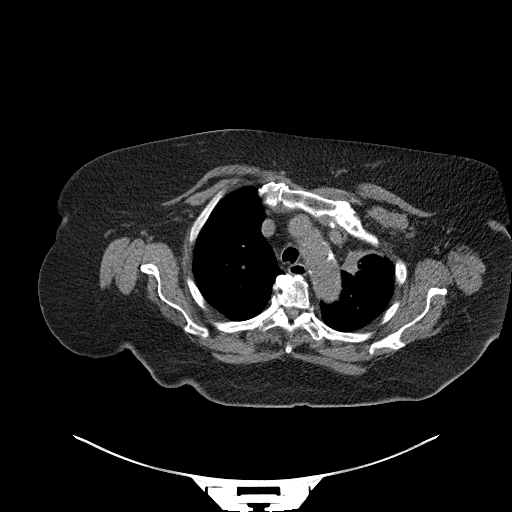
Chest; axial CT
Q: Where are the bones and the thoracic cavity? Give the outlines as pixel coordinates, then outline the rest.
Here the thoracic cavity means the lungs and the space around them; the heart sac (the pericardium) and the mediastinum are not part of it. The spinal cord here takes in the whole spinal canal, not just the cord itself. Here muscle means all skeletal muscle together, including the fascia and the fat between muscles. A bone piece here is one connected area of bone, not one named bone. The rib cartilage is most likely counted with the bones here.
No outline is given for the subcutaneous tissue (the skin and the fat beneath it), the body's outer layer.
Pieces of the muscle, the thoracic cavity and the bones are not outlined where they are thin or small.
A: Outlined structures:
bones 1: (284, 273) (299, 275) (307, 282) (317, 320) (338, 331) (373, 331) (373, 336) (360, 342) (346, 342) (324, 337) (315, 340) (302, 327) (298, 327) (290, 338) (279, 326) (265, 331) (255, 328) (230, 333) (216, 329) (211, 320) (242, 321) (264, 310) (270, 303) (276, 277); inner edge: (291, 307) (295, 307) (296, 308) (297, 308) (298, 309) (299, 309) (299, 313) (298, 314) (298, 315) (296, 317) (295, 317) (292, 320) (290, 320) (289, 319) (289, 318) (287, 316) (287, 315) (286, 314) (286, 312) (285, 311) (285, 310) (287, 308) (290, 308)
bones 2: (270, 181) (281, 181) (292, 189) (302, 189) (326, 198) (345, 200) (349, 202) (359, 216) (364, 228) (377, 237) (378, 247) (376, 248) (353, 237) (327, 214) (322, 214) (317, 218) (299, 208) (289, 209) (280, 202) (273, 206) (264, 205) (258, 195) (257, 189) (258, 187)
bones 3: (431, 287) (446, 288) (447, 292) (445, 295) (435, 294) (432, 296) (426, 313) (418, 321) (402, 331) (400, 339) (405, 342) (405, 346) (397, 350) (388, 347) (376, 348) (373, 354) (370, 354) (369, 347) (373, 341) (379, 340) (396, 331) (415, 318) (424, 309) (427, 292)
bones 4: (144, 263) (152, 263) (157, 267) (163, 295) (170, 301) (180, 306) (194, 322) (207, 327) (209, 332) (208, 336) (204, 338) (184, 331) (183, 327) (186, 324) (185, 317) (179, 310) (167, 304) (159, 297) (157, 292) (156, 278) (152, 274) (147, 274) (140, 269) (140, 266)
bones 5: (224, 188) (226, 189) (226, 193) (223, 197) (219, 200) (213, 208) (208, 218) (201, 228) (195, 240) (194, 244) (192, 246) (190, 245) (190, 243) (189, 242) (189, 234) (190, 233) (190, 229) (192, 226) (192, 224) (194, 220) (197, 217) (199, 213) (208, 201) (219, 190)
bones 6: (187, 276) (189, 276) (194, 281) (199, 291) (201, 293) (201, 294) (205, 299) (206, 302) (208, 304) (207, 305) (207, 308) (206, 309) (203, 309) (201, 308) (197, 304) (197, 303) (192, 297) (190, 293) (189, 288) (186, 283) (186, 277)
bones 7: (397, 258) (401, 258) (405, 262) (405, 264) (406, 265) (406, 268) (407, 269) (407, 273) (406, 274) (406, 278) (405, 279) (404, 282) (400, 286) (399, 285) (397, 285) (395, 283) (395, 266) (394, 265) (394, 264) (395, 263) (395, 262) (396, 261)
bones 8: (396, 300) (398, 300) (400, 302) (400, 304) (399, 305) (397, 310) (395, 312) (395, 313) (385, 323) (384, 323) (383, 324) (380, 324) (379, 323) (379, 322) (380, 321) (380, 319) (381, 318) (381, 316) (383, 314) (383, 313) (387, 309) (387, 308) (390, 305) (391, 305)
thoracic cavity 1: (246, 186) (257, 187) (257, 195) (265, 206) (265, 216) (261, 222) (260, 230) (273, 252) (277, 266) (283, 273) (275, 277) (271, 287) (272, 293) (269, 303) (264, 309) (249, 318) (232, 320) (227, 319) (212, 307) (196, 284) (192, 270) (193, 246) (220, 200) (229, 192)
thoracic cavity 2: (366, 248) (376, 249) (393, 263) (395, 285) (389, 305) (380, 316) (359, 329) (358, 331) (342, 331) (335, 329) (326, 324) (320, 318) (320, 300) (326, 304) (330, 304) (339, 298) (342, 291) (341, 276) (340, 275) (342, 264) (347, 256) (354, 249) (365, 249)
spinal cord: (291, 307) (295, 307) (296, 308) (297, 308) (298, 309) (299, 309) (299, 313) (298, 314) (298, 315) (296, 317) (295, 317) (292, 320) (290, 320) (289, 319) (289, 318) (287, 316) (287, 315) (286, 314) (286, 312) (285, 311) (285, 310) (287, 308) (290, 308)
mediastinum: (279, 203) (289, 210) (299, 209) (317, 219) (327, 215) (353, 238) (370, 247) (354, 248) (346, 256) (339, 272) (339, 296) (330, 303) (319, 300) (319, 319) (315, 315) (308, 282) (301, 275) (284, 272) (278, 266) (274, 252) (262, 233) (266, 206) (273, 207)
torso: (225, 128) (373, 142) (460, 155) (493, 166) (507, 209) (511, 273) (500, 330) (477, 361) (437, 393) (417, 401) (246, 407) (210, 401) (186, 384) (163, 387) (128, 349) (91, 358) (62, 345) (44, 320) (37, 282) (55, 240) (60, 221) (56, 203) (67, 179) (112, 150)
muscle: (233, 163) (282, 170) (307, 188) (346, 189) (360, 182) (379, 185) (413, 206) (435, 213) (419, 217) (408, 237) (405, 251) (412, 268) (424, 258) (443, 260) (454, 246) (463, 244) (477, 252) (485, 264) (484, 282) (479, 290) (461, 299) (444, 329) (377, 361) (358, 376) (288, 356) (250, 364) (216, 360) (146, 301) (102, 290) (99, 268) (105, 248) (123, 236) (163, 241) (177, 252) (190, 217) (180, 207) (161, 204) (189, 189) (210, 169) with holes at (270, 181) (349, 202) (377, 237) (376, 249) (405, 262) (406, 278) (389, 302) (400, 302) (395, 313) (358, 330) (373, 331) (371, 338) (315, 340) (302, 327) (290, 338) (279, 326) (223, 332) (210, 321) (226, 317) (192, 297) (186, 277) (194, 279) (194, 220) (219, 190) and at (431, 287) (446, 288) (447, 292) (445, 295) (435, 294) (432, 296) (426, 313) (418, 321) (402, 331) (400, 339) (405, 342) (405, 346) (397, 350) (388, 347) (376, 348) (373, 354) (370, 354) (369, 347) (373, 341) (379, 340) (396, 331) (415, 318) (424, 309) (427, 292) and at (144, 263) (152, 263) (157, 267) (163, 295) (170, 301) (180, 306) (194, 322) (207, 327) (209, 332) (208, 336) (204, 338) (184, 331) (183, 327) (186, 324) (185, 317) (179, 310) (167, 304) (159, 297) (157, 292) (156, 278) (152, 274) (147, 274) (140, 269) (140, 266) and at (288, 341) (289, 341) (290, 342) (290, 343) (291, 344) (291, 351) (289, 353) (287, 353) (285, 351) (285, 347) (286, 346) (286, 345) (287, 344) (287, 342)